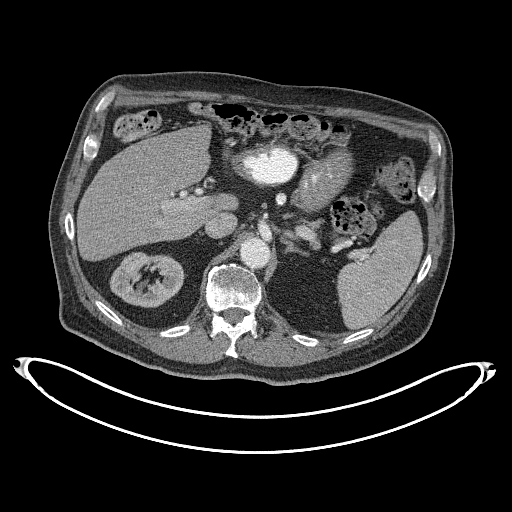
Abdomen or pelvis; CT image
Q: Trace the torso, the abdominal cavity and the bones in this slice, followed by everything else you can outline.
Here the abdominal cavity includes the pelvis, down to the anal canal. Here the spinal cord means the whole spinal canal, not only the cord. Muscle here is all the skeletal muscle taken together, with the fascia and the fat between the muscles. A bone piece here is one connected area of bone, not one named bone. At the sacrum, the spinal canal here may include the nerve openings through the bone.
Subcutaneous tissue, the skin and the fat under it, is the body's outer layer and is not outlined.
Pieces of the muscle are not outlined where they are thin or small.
A: Outlines:
torso: [[272,385],[309,383],[359,371],[409,349],[427,333],[447,278],[455,235],[453,153],[445,129],[422,109],[350,88],[280,84],[196,70],[123,73],[108,78],[93,91],[79,114],[49,205],[48,237],[61,325],[103,349],[170,375],[206,380],[242,378]]
abdominal cavity: [[325,332],[375,323],[414,280],[427,243],[427,216],[416,191],[428,157],[427,146],[353,118],[253,103],[187,100],[110,110],[98,154],[74,211],[80,264],[106,301],[140,325],[171,326],[192,311],[209,268],[234,261],[255,273],[262,296],[290,325]]
bones 1: [[234,358],[238,357],[236,341],[243,333],[249,331],[254,337],[257,336],[255,312],[261,300],[261,286],[251,270],[231,262],[214,265],[210,268],[207,275],[205,299],[212,311],[210,336],[214,337],[220,331],[226,333],[230,339],[230,345],[224,353]], around a hole outlined by [[233,324],[234,323],[241,320],[242,317],[246,313],[246,312],[244,310],[243,310],[242,309],[240,309],[239,308],[229,308],[228,309],[226,309],[225,310],[224,310],[222,312],[223,317],[225,319],[225,320],[226,321],[227,321],[228,322],[230,322]]
bones 2: [[424,202],[429,202],[431,201],[433,199],[433,197],[436,191],[436,187],[435,186],[435,177],[433,173],[433,168],[430,168],[424,171],[418,183],[418,187],[417,188],[417,191],[419,195],[424,201]]
bones 3: [[89,161],[90,160],[92,160],[96,156],[97,154],[97,151],[99,147],[99,144],[100,143],[100,141],[99,139],[97,137],[96,134],[94,132],[91,132],[87,135],[87,136],[85,138],[85,140],[83,144],[83,158]]
bones 4: [[161,337],[173,337],[174,336],[179,336],[180,335],[182,335],[183,334],[188,332],[190,330],[191,327],[189,324],[183,324],[182,325],[178,325],[177,326],[170,327],[169,328],[167,328],[166,329],[163,329],[162,330],[160,330],[158,333]]
bones 5: [[121,326],[123,325],[122,320],[108,306],[107,306],[104,303],[103,303],[101,301],[97,299],[94,300],[94,303],[99,309],[99,310],[101,311],[104,315],[105,315],[108,318],[109,318],[111,320],[112,320],[114,322],[115,322],[117,324]]
bones 6: [[417,284],[419,283],[425,277],[425,276],[427,274],[427,272],[431,264],[431,254],[429,252],[427,252],[426,253],[424,257],[424,259],[421,264],[421,266],[418,271],[418,273],[416,276],[416,278],[414,281]]
bones 7: [[72,242],[73,242],[74,241],[74,222],[73,221],[73,214],[70,211],[68,211],[66,213],[66,214],[65,215],[65,219],[64,220],[64,224],[65,225],[65,233],[66,234],[66,235],[67,236],[67,237]]
bones 8: [[343,343],[348,343],[349,342],[351,342],[355,340],[358,340],[359,339],[364,338],[366,336],[369,335],[373,331],[373,328],[371,327],[369,327],[368,328],[365,328],[364,329],[359,330],[356,332],[354,332],[343,338],[342,340],[342,342]]
bones 9: [[307,346],[314,346],[315,345],[317,345],[319,343],[319,339],[315,337],[310,337],[309,336],[307,336],[303,334],[300,334],[299,333],[295,333],[291,335],[291,337],[294,340],[295,340],[297,342],[301,344],[303,344]]
bones 10: [[437,157],[438,157],[439,156],[440,156],[440,155],[441,154],[441,146],[440,145],[440,143],[439,142],[439,141],[437,139],[437,137],[436,136],[436,135],[431,130],[429,130],[429,147],[430,148],[430,149],[431,150],[431,151]]
bones 11: [[96,113],[99,113],[101,111],[103,111],[109,105],[109,104],[112,100],[112,98],[114,94],[114,92],[113,91],[110,91],[108,92],[106,94],[105,94],[100,99],[100,100],[98,102],[98,103],[95,107],[95,111]]
spinal cord: [[233,324],[234,323],[241,320],[242,317],[246,313],[246,312],[244,310],[243,310],[242,309],[240,309],[239,308],[229,308],[228,309],[226,309],[225,310],[224,310],[222,312],[223,317],[225,319],[225,320],[226,321],[227,321],[228,322],[230,322]]
muscle: [[273,367],[328,358],[383,337],[429,284],[444,240],[446,149],[442,135],[426,121],[355,108],[276,103],[243,94],[204,90],[137,90],[119,82],[106,87],[91,106],[65,183],[59,225],[69,269],[79,300],[93,316],[160,356],[188,363],[211,363],[231,357],[223,353],[229,345],[226,334],[209,336],[211,311],[204,299],[206,279],[201,283],[201,296],[193,311],[185,321],[174,325],[189,323],[191,330],[179,337],[161,338],[158,331],[169,327],[153,329],[130,321],[91,286],[79,264],[75,236],[72,243],[64,233],[64,215],[68,210],[73,213],[91,163],[82,158],[84,138],[94,131],[101,139],[110,109],[187,99],[253,102],[353,117],[402,136],[417,138],[428,146],[429,157],[423,172],[434,168],[437,191],[429,203],[424,203],[420,197],[428,216],[427,251],[432,254],[426,277],[417,285],[413,282],[402,299],[369,326],[374,328],[369,336],[348,344],[343,344],[342,338],[358,330],[325,333],[290,326],[262,297],[256,312],[258,336],[254,338],[247,332],[238,339],[236,347],[238,359]], around holes outlined by [[121,326],[123,325],[122,320],[108,306],[107,306],[104,303],[103,303],[101,301],[97,299],[94,300],[94,303],[99,309],[99,310],[101,311],[104,315],[105,315],[108,318],[109,318],[111,320],[112,320],[114,322],[115,322],[117,324]] and by [[307,346],[314,346],[315,345],[317,345],[319,343],[319,339],[315,337],[310,337],[309,336],[307,336],[303,334],[300,334],[299,333],[295,333],[291,335],[291,337],[294,340],[295,340],[297,342],[301,344],[303,344]] and by [[437,157],[438,157],[439,156],[440,156],[440,155],[441,154],[441,146],[440,145],[440,143],[439,142],[439,141],[437,139],[437,137],[436,136],[436,135],[431,130],[429,130],[429,147],[430,148],[430,149],[431,150],[431,151]] and by [[96,113],[99,113],[101,111],[103,111],[109,105],[109,104],[112,100],[112,98],[114,94],[114,92],[113,91],[110,91],[108,92],[106,94],[105,94],[100,99],[100,100],[98,102],[98,103],[95,107],[95,111]]